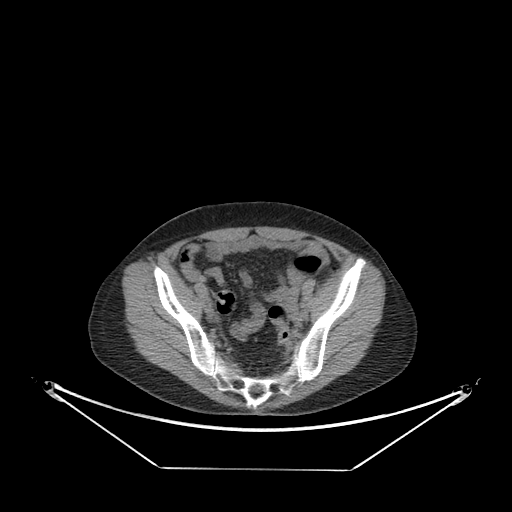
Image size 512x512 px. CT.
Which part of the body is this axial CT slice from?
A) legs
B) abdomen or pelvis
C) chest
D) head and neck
B) abdomen or pelvis
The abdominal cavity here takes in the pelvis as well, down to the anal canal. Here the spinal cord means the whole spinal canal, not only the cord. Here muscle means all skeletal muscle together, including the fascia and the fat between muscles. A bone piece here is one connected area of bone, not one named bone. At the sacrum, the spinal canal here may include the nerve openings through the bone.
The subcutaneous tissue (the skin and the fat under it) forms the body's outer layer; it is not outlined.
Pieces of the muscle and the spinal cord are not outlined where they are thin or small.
The torso is outlined by (254, 200) (283, 201) (323, 212) (351, 226) (379, 252) (404, 289) (417, 318) (418, 336) (415, 352) (403, 372) (385, 384) (351, 401) (314, 413) (295, 416) (208, 415) (162, 402) (96, 359) (90, 348) (87, 320) (95, 293) (111, 269) (148, 233) (184, 211) (210, 203). The spinal cord appears in 2 outlined pieces: piece 1: (251, 391) (254, 391) (255, 392) (262, 392) (259, 395) (258, 395) (257, 396) (253, 396) (250, 393) (250, 392); piece 2: (238, 383) (239, 383) (240, 384) (241, 385) (242, 385) (241, 385) (240, 386) (239, 386) (238, 386) (237, 386) (237, 385) (236, 384) (237, 384). The bones are outlined by (359, 257) (366, 263) (352, 302) (328, 332) (319, 373) (298, 382) (289, 395) (274, 393) (255, 409) (241, 394) (219, 390) (213, 377) (193, 364) (184, 331) (162, 306) (153, 274) (156, 265) (168, 275) (177, 299) (229, 368) (264, 377) (287, 369); inner edge: (251, 391) (254, 391) (255, 392) (262, 392) (259, 395) (258, 395) (257, 396) (253, 396) (250, 393) (250, 392). The abdominal cavity is outlined by (252, 231) (281, 241) (311, 238) (339, 263) (317, 288) (312, 278) (305, 281) (302, 297) (311, 325) (291, 362) (264, 376) (244, 374) (229, 355) (216, 350) (200, 323) (203, 307) (213, 303) (210, 290) (200, 283) (187, 284) (173, 264) (180, 249) (193, 240) (243, 238). The muscle appears in 2 outlined pieces: piece 1: (242, 226) (273, 226) (274, 227) (287, 227) (291, 229) (297, 229) (298, 230) (302, 230) (303, 231) (306, 231) (307, 232) (316, 234) (321, 237) (333, 241) (345, 247) (352, 252) (361, 254) (363, 256) (370, 259) (372, 263) (380, 270) (385, 280) (385, 300) (384, 301) (384, 307) (383, 308) (383, 313) (382, 314) (381, 322) (377, 326) (379, 329) (375, 334) (371, 345) (367, 349) (367, 353) (361, 359) (360, 362) (347, 373) (339, 376) (319, 390) (308, 395) (300, 400) (292, 402) (281, 407) (277, 407) (272, 409) (264, 409) (259, 411) (253, 409) (234, 408) (230, 406) (221, 404) (214, 400) (212, 400) (184, 381) (181, 380) (175, 375) (151, 363) (149, 361) (147, 361) (135, 350) (135, 347) (133, 344) (133, 340) (127, 332) (124, 323) (124, 315) (125, 314) (124, 313) (124, 298) (122, 293) (121, 279) (123, 275) (123, 270) (127, 265) (132, 262) (138, 260) (140, 258) (143, 258) (151, 251) (155, 251) (156, 252) (158, 251) (162, 251) (171, 244) (184, 238) (193, 236) (194, 235) (197, 235) (209, 230) (213, 230) (219, 228) (225, 228) (226, 227) (241, 227) with a hole at (252, 231) (281, 241) (311, 238) (339, 263) (317, 288) (312, 278) (303, 285) (312, 324) (342, 275) (357, 258) (366, 262) (352, 302) (328, 332) (319, 373) (255, 409) (193, 364) (153, 274) (156, 265) (168, 275) (200, 323) (213, 301) (205, 285) (178, 273) (180, 249); piece 2: (217, 350) (219, 350) (223, 352) (226, 355) (229, 356) (229, 357) (231, 358) (234, 362) (238, 364) (239, 365) (239, 367) (241, 368) (243, 372) (243, 374) (241, 374) (238, 371) (239, 370) (238, 369) (233, 369) (229, 367) (225, 363) (225, 361) (220, 356) (217, 355).